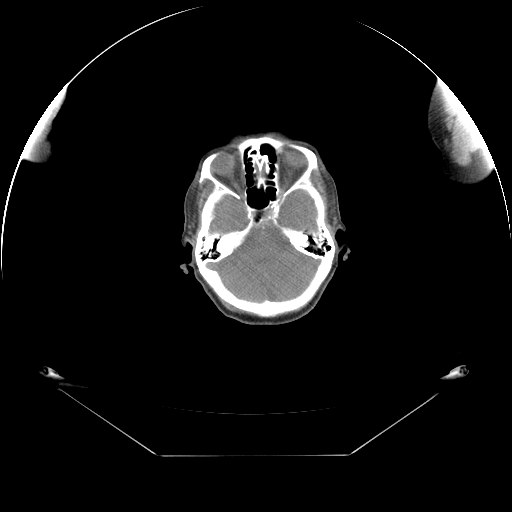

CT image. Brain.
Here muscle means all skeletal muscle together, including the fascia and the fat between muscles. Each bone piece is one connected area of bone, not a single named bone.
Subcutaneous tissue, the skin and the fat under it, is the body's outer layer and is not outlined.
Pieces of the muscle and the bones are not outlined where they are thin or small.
{"brain":[[[271,224],[279,230],[280,233],[287,239],[288,242],[298,252],[319,261],[306,286],[299,293],[292,297],[284,299],[265,298],[260,301],[240,297],[225,285],[219,272],[214,268],[212,268],[209,264],[217,263],[229,256],[245,241],[252,229],[264,228]],[[296,190],[301,190],[305,192],[311,198],[313,202],[313,205],[316,212],[315,215],[315,225],[316,227],[315,229],[309,229],[308,230],[307,229],[306,230],[304,229],[296,229],[290,226],[283,225],[278,221],[282,205],[286,200],[287,197],[292,192]],[[227,195],[229,195],[235,198],[241,203],[241,205],[245,210],[245,215],[247,219],[247,222],[245,225],[240,229],[234,229],[233,230],[230,230],[225,232],[210,231],[211,223],[215,218],[215,208],[216,207],[216,205],[224,197],[224,196],[226,196]]],"left_arm":[[[437,75],[455,94],[472,118],[483,137],[491,158],[494,162],[495,168],[484,181],[477,185],[460,189],[453,188],[448,184],[447,180],[439,170],[439,155],[440,154],[430,138],[426,122],[427,107],[428,106],[428,99],[430,94],[430,90],[435,82]]],"muscle":[[[444,82],[455,94],[464,106],[477,126],[481,135],[483,137],[480,152],[477,158],[472,163],[472,164],[466,167],[459,166],[453,163],[448,155],[448,152],[444,148],[443,145],[443,131],[442,130],[442,120],[441,119],[441,113],[440,112],[440,90]],[[199,174],[198,183],[201,184],[205,180],[209,180],[212,183],[212,188],[205,198],[201,210],[199,212],[199,226],[196,231],[196,236],[194,244],[192,242],[190,237],[191,236],[188,232],[188,224],[189,223],[188,219],[188,206],[192,190]],[[318,161],[318,163],[320,165],[330,184],[331,189],[334,195],[335,216],[337,221],[337,227],[334,230],[333,234],[331,233],[326,223],[326,216],[327,215],[327,208],[326,207],[326,204],[322,195],[315,186],[311,177],[312,173],[318,169]],[[57,94],[58,98],[53,107],[53,109],[51,113],[51,116],[49,120],[48,127],[42,140],[42,150],[41,151],[41,153],[39,155],[35,155],[30,151],[29,151],[25,147],[26,146],[27,141],[38,120],[40,118],[40,117],[42,115],[50,102]],[[217,296],[225,302],[230,304],[232,306],[240,310],[242,310],[243,311],[245,311],[249,313],[252,313],[258,316],[252,316],[251,315],[247,315],[246,314],[242,314],[241,313],[238,313],[237,312],[231,311],[227,309],[221,303],[221,302],[218,299]],[[307,303],[308,303],[304,307],[303,307],[301,309],[300,309],[298,311],[296,311],[295,312],[293,312],[292,313],[289,313],[288,314],[285,314],[284,315],[280,315],[279,316],[276,316],[277,315],[279,315],[280,314],[283,314],[284,313],[287,313],[288,312],[291,312],[292,311],[294,311],[295,310],[297,310],[298,309],[299,309],[300,308],[301,308],[302,307],[303,307]]],"bones":[{"outer":[[263,136],[270,136],[303,146],[315,154],[317,169],[311,173],[310,177],[325,204],[325,223],[334,237],[335,244],[331,268],[313,297],[297,309],[272,317],[262,317],[240,309],[219,297],[200,274],[194,254],[194,245],[200,226],[200,212],[213,188],[213,183],[209,179],[205,179],[199,183],[203,161],[209,155],[219,152],[211,163],[211,173],[219,181],[238,192],[243,187],[243,174],[239,152],[234,145],[246,138]],"holes":[[[271,224],[279,230],[280,233],[287,239],[288,242],[298,252],[319,261],[306,286],[299,293],[292,297],[284,299],[265,298],[260,301],[240,297],[225,285],[219,272],[214,268],[212,268],[209,264],[217,263],[229,256],[245,241],[252,229],[264,228]],[[296,190],[301,190],[305,192],[311,198],[313,202],[313,205],[316,212],[315,215],[315,225],[316,227],[315,229],[309,229],[308,230],[307,229],[306,230],[304,229],[296,229],[290,226],[283,225],[278,221],[282,205],[286,200],[287,197],[292,192]],[[227,195],[229,195],[235,198],[241,203],[241,205],[245,210],[245,215],[247,219],[247,222],[245,225],[240,229],[234,229],[233,230],[230,230],[225,232],[210,231],[211,223],[215,218],[215,208],[216,207],[216,205],[224,197],[224,196],[226,196]],[[285,146],[299,151],[304,156],[306,160],[306,167],[305,169],[300,174],[300,175],[287,187],[285,187],[283,185],[282,185],[280,182],[280,162],[278,158],[278,155],[281,154],[284,151],[284,149],[283,148]],[[247,162],[250,164],[251,167],[250,172],[251,187],[258,191],[261,191],[265,194],[269,188],[273,189],[273,195],[271,197],[270,196],[268,197],[265,204],[259,207],[252,205],[249,201],[248,193],[249,187],[247,184],[246,178],[248,174],[246,167]],[[263,145],[268,145],[269,146],[270,146],[273,149],[273,151],[274,152],[274,155],[275,156],[275,159],[274,160],[274,161],[273,161],[272,162],[270,160],[270,157],[269,156],[269,155],[266,152],[262,152],[262,151],[261,150],[261,148]]]}],"right_arm":[[[66,84],[65,102],[61,110],[54,120],[53,129],[49,136],[49,138],[52,142],[52,146],[54,152],[54,158],[53,160],[51,162],[46,164],[36,164],[28,161],[25,158],[19,158],[23,146],[24,147],[26,146],[27,141],[38,120],[50,102]]],"head":[{"outer":[[264,130],[285,132],[317,148],[336,184],[346,226],[337,239],[350,248],[346,260],[345,250],[339,253],[337,269],[314,308],[279,325],[251,325],[225,316],[192,268],[185,274],[179,267],[190,259],[190,246],[180,241],[183,202],[200,157],[234,134]],"holes":[[[247,162],[250,164],[251,167],[250,172],[251,187],[258,191],[261,191],[265,194],[269,188],[273,189],[273,195],[271,197],[270,196],[268,197],[265,204],[259,207],[252,205],[249,201],[248,193],[249,187],[247,184],[246,178],[248,174],[246,167]],[[263,145],[268,145],[269,146],[270,146],[273,149],[273,151],[274,152],[274,155],[275,156],[275,159],[274,160],[274,161],[273,161],[272,162],[270,160],[270,157],[269,156],[269,155],[266,152],[262,152],[262,151],[261,150],[261,148]]]}]}